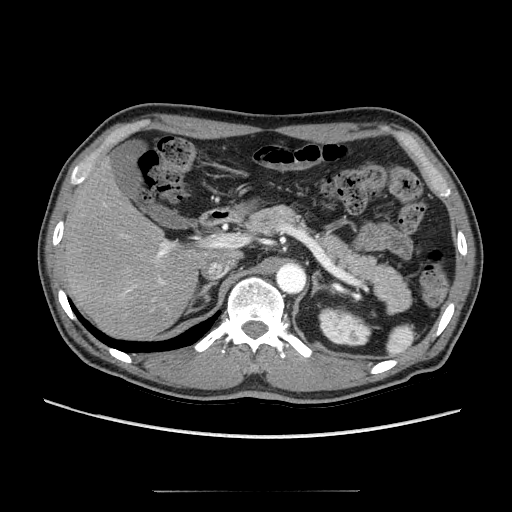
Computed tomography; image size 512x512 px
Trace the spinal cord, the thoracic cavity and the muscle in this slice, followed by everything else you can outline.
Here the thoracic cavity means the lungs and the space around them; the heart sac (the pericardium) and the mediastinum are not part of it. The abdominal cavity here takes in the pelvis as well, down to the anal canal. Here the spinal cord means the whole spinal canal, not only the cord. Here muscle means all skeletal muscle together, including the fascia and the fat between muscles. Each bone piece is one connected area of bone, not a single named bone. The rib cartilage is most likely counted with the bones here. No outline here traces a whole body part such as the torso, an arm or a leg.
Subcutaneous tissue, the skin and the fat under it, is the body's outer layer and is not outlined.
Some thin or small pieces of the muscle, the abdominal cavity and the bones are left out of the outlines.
spinal cord: (249, 321) (259, 321) (260, 322) (263, 323) (267, 327) (267, 330) (264, 333) (263, 333) (261, 335) (258, 336) (256, 338) (253, 338) (252, 337) (249, 336) (243, 330) (243, 329) (242, 328) (243, 325) (245, 323) (246, 323)
thoracic cavity: (68, 298) (71, 300) (79, 313) (92, 326) (110, 338) (116, 340) (134, 342) (155, 342) (167, 340) (183, 333) (200, 322) (206, 320) (217, 311) (219, 311) (220, 314) (213, 326) (202, 337) (190, 345) (163, 351) (128, 353) (107, 345) (94, 336) (77, 318) (70, 305)
muscle 1: (150, 113) (166, 113) (167, 114) (178, 114) (179, 115) (185, 115) (186, 116) (193, 116) (198, 118) (223, 121) (229, 123) (245, 124) (246, 125) (251, 125) (262, 128) (276, 128) (282, 126) (297, 125) (298, 124) (317, 124) (318, 123) (330, 123) (331, 122) (370, 122) (371, 121) (384, 121) (388, 123) (398, 124) (416, 133) (428, 146) (434, 155) (445, 168) (452, 179) (463, 202) (467, 214) (469, 225) (473, 235) (474, 246) (475, 247) (474, 275) (471, 282) (471, 286) (461, 309) (457, 323) (444, 348) (438, 354) (427, 360) (414, 363) (410, 366) (390, 376) (373, 382) (369, 382) (365, 384) (352, 386) (342, 389) (317, 390) (316, 391) (300, 391) (299, 392) (297, 391) (291, 391) (272, 386) (257, 374) (252, 374) (246, 377) (243, 381) (237, 385) (224, 389) (199, 389) (198, 388) (175, 387) (140, 377) (87, 351) (76, 342) (68, 333) (56, 308) (52, 289) (50, 285) (50, 281) (46, 271) (45, 259) (44, 258) (44, 247) (45, 246) (45, 239) (46, 238) (48, 224) (65, 176) (71, 164) (79, 154) (98, 136) (112, 125) (120, 122) (129, 122) (133, 119); inner edge: (142, 119) (150, 122) (138, 131) (198, 139) (276, 132) (342, 142) (392, 136) (385, 125) (411, 135) (450, 189) (441, 199) (454, 244) (461, 230) (467, 245) (464, 256) (455, 247) (447, 325) (434, 336) (436, 323) (373, 374) (376, 361) (310, 343) (309, 357) (289, 344) (281, 357) (266, 343) (253, 353) (231, 341) (222, 353) (223, 337) (202, 351) (191, 344) (130, 352) (130, 363) (111, 355) (61, 306) (52, 238) (76, 189) (74, 167) (113, 130)
muscle 2: (408, 151) (420, 164) (420, 165) (422, 168) (422, 170) (426, 175) (426, 176) (427, 177) (427, 179) (428, 180) (429, 183) (428, 182) (428, 181) (425, 178) (425, 177) (424, 176) (424, 175) (423, 174) (420, 167) (416, 163) (416, 162) (414, 160) (414, 159) (409, 154)
abdominal cavity: (152, 129) (198, 139) (258, 132) (316, 142) (393, 136) (449, 216) (455, 272) (437, 323) (394, 358) (365, 361) (333, 354) (302, 341) (289, 320) (285, 295) (250, 275) (231, 287) (221, 312) (167, 339) (116, 339) (92, 325) (62, 279) (59, 244) (70, 200) (100, 154)
bones 1: (250, 276) (262, 278) (284, 295) (289, 330) (312, 349) (309, 357) (301, 355) (289, 344) (283, 349) (285, 356) (281, 357) (273, 346) (266, 343) (253, 353) (246, 343) (234, 344) (231, 341) (222, 353) (223, 337) (202, 351) (193, 348) (193, 344) (219, 323) (232, 287) with a hole at (249, 321) (259, 321) (260, 322) (263, 323) (267, 327) (267, 330) (264, 333) (263, 333) (261, 335) (258, 336) (256, 338) (253, 338) (252, 337) (249, 336) (243, 330) (243, 329) (242, 328) (243, 325) (245, 323) (246, 323)
bones 2: (385, 125) (388, 126) (393, 130) (400, 130) (406, 132) (411, 135) (416, 140) (422, 148) (425, 155) (446, 180) (447, 185) (450, 189) (449, 196) (447, 197) (440, 197) (438, 196) (432, 189) (428, 177) (423, 170) (421, 164) (389, 131) (386, 131) (381, 128) (382, 126)
bones 3: (142, 119) (149, 119) (150, 122) (138, 129) (137, 131) (131, 133) (110, 147) (108, 147) (100, 153) (96, 158) (93, 163) (93, 165) (83, 181) (76, 185) (73, 185) (70, 182) (71, 174) (74, 167) (87, 155) (96, 149) (109, 133) (121, 126) (130, 123) (133, 123)
bones 4: (450, 302) (453, 302) (454, 303) (454, 310) (453, 311) (453, 314) (450, 320) (448, 322) (447, 325) (444, 328) (441, 333) (437, 336) (434, 336) (434, 333) (436, 331) (436, 329) (437, 328) (438, 322) (440, 319) (440, 317) (442, 313) (446, 308) (447, 305)
bones 5: (59, 288) (61, 288) (64, 290) (67, 296) (67, 299) (68, 300) (69, 305) (73, 313) (75, 315) (77, 319) (76, 320) (73, 320) (71, 319) (67, 315) (67, 314) (61, 306) (59, 302) (59, 300) (58, 299) (58, 289)
bones 6: (388, 359) (396, 359) (397, 360) (397, 363) (394, 366) (393, 366) (391, 368) (385, 371) (383, 371) (379, 373) (374, 373) (373, 374) (372, 373) (370, 373) (370, 369) (373, 365) (374, 365) (377, 362) (379, 362) (380, 361) (383, 361) (384, 360) (387, 360)
bones 7: (106, 346) (109, 346) (112, 348) (114, 348) (120, 351) (122, 351) (125, 353) (127, 353) (131, 357) (132, 359) (132, 361) (130, 363) (128, 363) (127, 362) (122, 361) (114, 357) (112, 355) (111, 355) (110, 353) (107, 350) (107, 348)